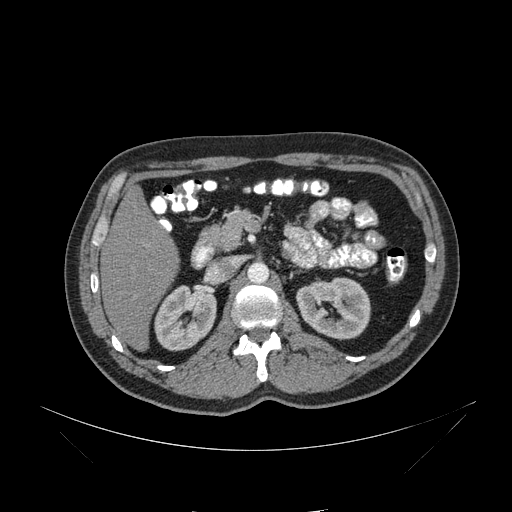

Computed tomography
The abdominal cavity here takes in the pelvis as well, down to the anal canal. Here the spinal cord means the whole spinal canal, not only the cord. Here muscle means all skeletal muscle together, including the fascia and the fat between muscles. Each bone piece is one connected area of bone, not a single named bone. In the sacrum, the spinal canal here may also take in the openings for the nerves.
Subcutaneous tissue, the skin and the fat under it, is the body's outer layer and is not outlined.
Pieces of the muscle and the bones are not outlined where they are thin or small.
The torso is outlined by 213 416; 243 411; 265 400; 317 409; 363 399; 393 385; 433 345; 457 297; 459 245; 444 197; 429 172; 411 154; 371 136; 340 131; 193 135; 130 147; 101 168; 75 217; 64 256; 65 297; 76 336; 95 366; 125 393; 164 409. The muscle is outlined by 202 399; 239 397; 260 383; 255 375; 254 356; 234 356; 231 352; 241 333; 230 317; 232 300; 230 298; 226 302; 222 317; 208 339; 185 361; 176 364; 172 371; 159 371; 155 366; 160 362; 138 358; 123 345; 123 353; 116 351; 110 343; 110 335; 114 331; 103 313; 99 293; 93 294; 89 286; 89 275; 97 270; 100 247; 93 246; 90 237; 101 211; 104 209; 109 219; 117 199; 135 180; 222 169; 262 160; 370 171; 391 179; 421 220; 426 243; 433 241; 437 248; 435 262; 425 262; 424 287; 411 312; 416 307; 421 310; 419 323; 410 328; 408 320; 384 346; 368 354; 364 360; 353 363; 344 359; 347 354; 305 332; 293 307; 284 297; 280 298; 283 315; 276 330; 283 348; 269 352; 266 381; 288 393; 326 392; 341 388; 400 355; 439 297; 445 270; 444 239; 429 191; 414 168; 351 154; 293 152; 271 157; 212 156; 138 162; 119 168; 109 177; 100 188; 80 245; 78 271; 82 308; 93 332; 120 367; 175 393 with holes at 108 200; 112 198; 121 187; 126 177; 126 175; 127 174; 126 172; 124 171; 123 172; 121 172; 119 174; 118 174; 112 181; 111 183; 111 185; 108 190; 108 192; 106 196; 106 199 and at 419 206; 420 206; 422 204; 422 200; 421 199; 421 196; 420 195; 420 194; 419 193; 419 192; 418 192; 417 191; 414 191; 413 192; 413 193; 414 194; 414 197; 415 198; 415 200; 416 201; 416 203. The bones appear in 8 outlined pieces: piece 1: 260 382; 267 379; 265 360; 268 352; 272 349; 280 350; 282 348; 280 337; 275 330; 281 319; 282 306; 273 289; 264 285; 248 284; 236 293; 232 303; 231 317; 242 330; 232 352; 234 355; 252 353; 255 356; 257 360; 256 375; inner edge: 257 342; 261 342; 263 340; 266 339; 269 336; 269 332; 270 331; 270 330; 268 328; 267 328; 266 327; 255 327; 254 328; 253 328; 252 329; 251 329; 248 331; 248 334; 249 335; 249 338; 251 340; 253 340; 254 341; 256 341; piece 2: 95 246; 99 246; 101 244; 101 243; 103 241; 105 237; 105 234; 107 231; 107 227; 108 226; 108 218; 106 216; 105 214; 105 211; 104 210; 102 211; 96 223; 96 225; 94 228; 94 230; 92 233; 92 236; 91 237; 91 243; piece 3: 108 200; 112 198; 121 187; 126 177; 126 175; 127 174; 126 172; 124 171; 123 172; 121 172; 119 174; 118 174; 112 181; 111 183; 111 185; 108 190; 108 192; 106 196; 106 199; piece 4: 430 263; 433 263; 434 262; 434 261; 435 260; 435 256; 436 255; 436 248; 435 247; 435 245; 433 242; 429 242; 428 243; 427 243; 426 244; 426 246; 424 249; 424 256; 425 257; 425 259; 428 262; 429 262; piece 5: 93 293; 95 293; 96 292; 97 292; 98 291; 98 275; 97 274; 97 271; 93 271; 91 273; 91 274; 90 275; 90 286; 91 287; 91 290; 92 291; 92 292; piece 6: 410 327; 414 327; 418 323; 418 322; 419 321; 419 319; 420 318; 420 310; 418 308; 416 308; 414 310; 414 311; 411 314; 411 315; 410 316; 410 318; 409 319; 409 326; piece 7: 120 352; 123 352; 124 351; 124 350; 123 349; 123 347; 122 346; 122 345; 121 344; 121 343; 119 341; 119 340; 117 338; 117 337; 114 334; 112 334; 111 335; 111 343; 112 344; 112 345; 113 346; 113 347; 116 350; 117 350; piece 8: 353 362; 356 362; 357 361; 359 361; 360 360; 362 360; 363 359; 364 359; 366 357; 366 355; 360 355; 359 356; 353 356; 352 355; 346 355; 345 356; 345 359; 346 359; 347 360; 348 360; 349 361; 352 361. The abdominal cavity is outlined by 166 364; 179 363; 195 352; 214 330; 225 302; 248 283; 267 285; 284 296; 305 331; 341 351; 367 354; 384 345; 408 319; 424 283; 425 236; 403 193; 380 174; 271 161; 133 182; 118 199; 100 246; 100 299; 122 344; 138 357. The spinal cord is outlined by 257 342; 261 342; 263 340; 266 339; 269 336; 269 332; 270 331; 270 330; 268 328; 267 328; 266 327; 255 327; 254 328; 253 328; 252 329; 251 329; 248 331; 248 334; 249 335; 249 338; 251 340; 253 340; 254 341; 256 341.